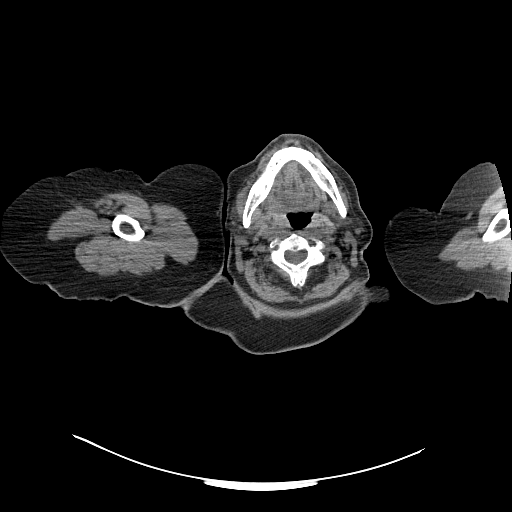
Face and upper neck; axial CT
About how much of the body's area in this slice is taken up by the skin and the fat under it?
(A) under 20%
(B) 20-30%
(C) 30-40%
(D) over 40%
(D) over 40%
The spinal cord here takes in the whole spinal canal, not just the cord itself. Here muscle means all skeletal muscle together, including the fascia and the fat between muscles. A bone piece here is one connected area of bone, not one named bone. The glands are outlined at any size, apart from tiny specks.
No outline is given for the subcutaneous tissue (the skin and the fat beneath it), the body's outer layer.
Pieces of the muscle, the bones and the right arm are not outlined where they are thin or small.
The torso is outlined by 218 276; 229 277; 247 299; 270 312; 308 311; 336 301; 350 289; 365 283; 387 286; 391 292; 391 299; 386 303; 369 305; 353 322; 319 343; 277 353; 252 354; 237 347; 227 335; 197 325; 184 314; 181 307; 178 307; 189 294. The right arm is outlined by 187 162; 206 165; 224 180; 221 221; 225 232; 225 265; 223 275; 196 288; 177 307; 146 305; 125 296; 112 301; 65 299; 45 284; 34 284; 24 279; 0 252; 6 207; 41 178; 97 166; 108 171; 129 169; 150 181; 161 171. The bones appear in 4 outlined pieces: piece 1: 290 145; 299 146; 310 151; 329 170; 346 207; 345 218; 340 216; 331 198; 318 186; 311 174; 293 159; 286 162; 276 174; 266 197; 255 208; 251 215; 250 224; 245 228; 242 224; 242 215; 252 184; 262 172; 273 153; 282 147; piece 2: 292 233; 296 233; 307 239; 314 236; 321 240; 324 244; 321 250; 325 257; 324 261; 318 265; 311 266; 307 270; 307 275; 301 286; 294 286; 291 283; 289 275; 274 264; 270 259; 270 250; 268 247; 269 243; 275 237; 283 239; inner edge: 288 250; 289 250; 290 251; 292 251; 293 252; 296 252; 297 251; 299 251; 300 250; 304 250; 306 252; 306 256; 303 260; 302 260; 300 262; 295 264; 294 263; 289 262; 285 258; 285 256; 284 255; 284 254; 285 253; 285 252; piece 3: 117 214; 126 214; 127 215; 136 219; 139 222; 141 227; 144 230; 144 231; 145 232; 145 235; 139 241; 128 241; 127 240; 126 240; 123 238; 121 238; 117 235; 116 235; 113 232; 113 230; 111 227; 111 222; 112 221; 112 219; piece 4: 504 208; 506 208; 507 210; 507 213; 508 214; 508 219; 509 220; 509 225; 511 228; 510 232; 505 236; 495 241; 493 241; 492 242; 483 242; 481 240; 481 236; 486 229; 489 222; 491 220; 493 216; 494 216; 499 211; 500 211. The spinal cord is outlined by 288 250; 289 250; 290 251; 292 251; 293 252; 296 252; 297 251; 299 251; 300 250; 304 250; 306 252; 306 256; 303 260; 302 260; 300 262; 295 264; 294 263; 289 262; 285 258; 285 256; 284 255; 284 254; 285 253; 285 252. The muscle appears in 3 outlined pieces: piece 1: 289 138; 310 144; 344 181; 355 214; 347 221; 358 239; 358 244; 357 269; 338 292; 313 301; 284 304; 264 301; 248 292; 235 273; 234 264; 235 236; 241 234; 243 227; 246 229; 250 226; 254 211; 267 197; 277 174; 286 163; 296 161; 327 194; 342 219; 346 218; 348 212; 330 170; 310 150; 290 144; 272 153; 251 184; 244 202; 241 223; 235 198; 242 180; 255 169; 267 151; inner edges: 292 233; 296 233; 307 239; 314 236; 321 240; 324 244; 321 250; 325 257; 324 261; 318 265; 311 266; 307 270; 307 275; 301 286; 294 286; 291 283; 289 275; 274 264; 270 259; 270 250; 268 247; 269 243; 275 237; 283 239, then 300 212; 302 212; 303 213; 308 213; 309 212; 311 213; 311 219; 309 221; 307 225; 301 228; 295 228; 293 227; 290 224; 290 222; 288 219; 288 217; 287 215; 290 213; 293 213; 295 214; 296 213; 299 213; piece 2: 120 191; 138 194; 149 203; 169 203; 183 210; 187 215; 187 221; 199 239; 195 260; 188 264; 172 260; 162 269; 143 276; 131 273; 100 276; 87 272; 80 266; 67 239; 59 241; 47 239; 46 230; 53 218; 68 209; 74 202 with a hole at 117 214; 126 214; 127 215; 136 219; 139 222; 141 227; 144 230; 144 231; 145 232; 145 235; 139 241; 128 241; 127 240; 126 240; 123 238; 121 238; 117 235; 116 235; 113 232; 113 230; 111 227; 111 222; 112 221; 112 219; piece 3: 494 183; 501 187; 505 207; 492 216; 481 234; 480 240; 483 243; 492 243; 505 237; 511 231; 511 275; 504 278; 503 281; 487 272; 460 270; 453 263; 444 262; 436 257; 439 248; 463 224; 464 218; 468 216; 479 198. The left arm is outlined by 484 161; 490 161; 495 165; 511 228; 511 275; 507 299; 506 301; 487 299; 477 292; 473 297; 466 300; 438 305; 431 304; 407 289; 395 275; 384 251; 383 236; 386 223; 392 215; 408 206; 438 211; 460 175; 470 167. The parotid glands appear in 2 outlined pieces: piece 1: 354 216; 356 216; 361 220; 364 226; 364 229; 365 230; 365 233; 364 235; 363 235; 359 238; 357 238; 356 236; 353 233; 350 227; 349 222; 348 221; 349 219; 351 219; 352 217; piece 2: 234 205; 235 205; 236 207; 236 209; 239 214; 239 219; 240 220; 240 223; 242 227; 242 230; 239 235; 235 235; 231 229; 231 222; 230 221; 230 219; 231 218; 231 211. The head and neck is outlined by 282 133; 298 133; 312 138; 346 170; 355 183; 360 206; 373 232; 363 251; 369 270; 367 282; 350 288; 336 300; 299 312; 267 310; 247 298; 233 280; 224 275; 230 245; 230 234; 225 231; 225 179; 234 168; 250 161; inner edge: 300 212; 302 212; 303 213; 308 213; 309 212; 311 213; 311 219; 309 221; 307 225; 301 228; 295 228; 293 227; 290 224; 290 222; 288 219; 288 217; 287 215; 290 213; 293 213; 295 214; 296 213; 299 213.